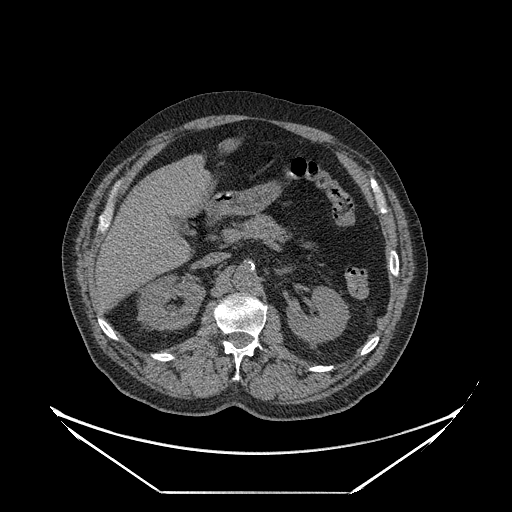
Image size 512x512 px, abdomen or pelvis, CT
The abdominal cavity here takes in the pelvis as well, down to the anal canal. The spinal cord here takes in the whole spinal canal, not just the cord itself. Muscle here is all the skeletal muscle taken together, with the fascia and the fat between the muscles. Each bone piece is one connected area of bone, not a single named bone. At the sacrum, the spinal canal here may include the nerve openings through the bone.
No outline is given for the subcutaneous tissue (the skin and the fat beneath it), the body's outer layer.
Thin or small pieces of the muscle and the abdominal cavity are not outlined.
Outlined structures:
torso: 223,90 260,92 323,106 343,115 388,157 420,220 428,270 415,327 382,384 344,411 277,421 256,417 236,406 206,416 158,410 119,391 95,366 70,311 61,244 73,206 97,167 126,135 158,111 197,94
abdominal cavity: 247,121 274,124 333,151 379,222 389,283 386,311 377,319 375,331 345,361 316,364 290,351 283,344 276,308 246,292 208,303 195,335 150,352 126,341 98,306 95,257 118,202 142,168 187,133
muscle: 222,114 237,114 238,115 257,116 268,119 293,122 303,125 307,125 329,133 339,140 351,145 372,163 375,169 380,173 382,177 395,193 396,197 403,209 407,221 407,225 411,241 412,257 414,262 414,271 413,272 413,278 410,283 405,306 403,309 394,334 390,340 386,352 382,359 372,369 364,373 342,389 329,396 325,397 323,399 311,402 300,403 299,404 287,404 286,405 273,404 270,402 257,399 245,391 243,387 235,385 229,386 225,390 216,395 205,398 197,398 188,400 187,399 172,397 156,391 133,377 126,370 113,361 102,350 95,341 95,338 92,334 92,331 90,328 87,315 85,311 85,307 82,300 79,284 76,277 76,271 75,270 76,268 75,245 76,244 76,238 78,235 78,231 83,216 88,207 89,202 91,200 95,190 104,177 116,165 129,157 144,143 157,134 192,119 196,119 211,115 221,115; inner edges: 247,121 274,124 333,151 359,186 379,222 386,265 390,249 398,255 398,275 387,270 389,297 385,313 377,319 375,331 351,357 335,364 332,370 308,371 308,367 316,364 299,357 283,344 280,315 272,304 268,305 266,321 258,335 265,350 257,348 252,356 242,358 238,381 232,380 234,358 224,352 221,344 223,335 213,316 216,305 213,301 205,306 196,334 165,350 175,357 169,361 154,359 116,331 119,340 109,338 98,323 97,315 103,314 96,300 94,262 104,234 96,228 113,184 122,179 113,199 114,210 142,168 170,143 187,133, then 371,176 377,181 385,196 385,199 386,200 386,203 387,204 387,207 388,208 388,212 387,213 383,214 379,212 378,207 376,204 376,202 375,201 375,199 374,198 374,196 373,195 373,193 370,186 369,178, then 374,335 378,335 379,336 379,340 378,341 377,344 375,346 375,347 370,352 369,352 368,353 367,353 364,355 360,355 359,354 359,353 360,352 360,351 361,350 362,347 365,344 365,343 369,339 370,339
spinal cord: 234,332 242,332 243,333 246,333 247,334 248,334 251,337 251,341 249,343 248,343 246,345 245,345 244,346 243,346 242,347 236,347 230,341 229,341 228,340 228,335 229,335 231,333 233,333
bones 1: 235,292 254,296 268,306 265,324 258,335 259,341 265,350 257,348 252,356 245,355 242,358 239,364 241,378 238,381 232,380 235,371 234,358 230,353 224,352 221,344 223,335 213,316 214,307 224,297 with a hole at 234,332 242,332 243,333 246,333 247,334 248,334 251,337 251,341 249,343 248,343 246,345 245,345 244,346 243,346 242,347 236,347 230,341 229,341 228,340 228,335 229,335 231,333 233,333
bones 2: 121,178 122,179 122,182 117,191 117,193 113,199 113,202 114,203 113,215 111,218 110,223 104,233 98,232 96,229 98,223 98,217 103,211 106,205 106,203 109,197 110,190 113,184 117,180
bones 3: 371,176 377,181 385,196 385,199 386,200 386,203 387,204 387,207 388,208 388,212 387,213 383,214 379,212 378,207 376,204 376,202 375,201 375,199 374,198 374,196 373,195 373,193 370,186 369,178
bones 4: 390,249 394,249 396,251 396,252 397,253 397,254 398,255 398,258 399,259 399,273 398,274 398,275 397,276 394,276 391,273 391,272 388,269 388,257 389,256 389,251 390,250
bones 5: 97,315 100,315 101,316 102,316 108,322 108,323 110,325 110,326 115,332 116,335 119,338 119,340 118,341 109,338 104,333 104,332 102,330 102,329 100,327 100,326 98,323 98,321 97,320
bones 6: 374,335 378,335 379,336 379,340 378,341 377,344 375,346 375,347 370,352 369,352 368,353 367,353 364,355 360,355 359,354 359,353 360,352 360,351 361,350 362,347 365,344 365,343 369,339 370,339
bones 7: 160,351 165,351 166,352 168,352 169,353 170,353 171,354 174,355 175,358 173,360 170,360 169,361 161,361 160,360 157,360 156,359 154,359 150,355 150,353 151,352 159,352
bones 8: 314,365 334,365 334,368 332,370 330,370 329,371 324,371 323,372 314,372 313,371 308,371 307,370 307,369 308,368 308,367 309,367 310,366 313,366